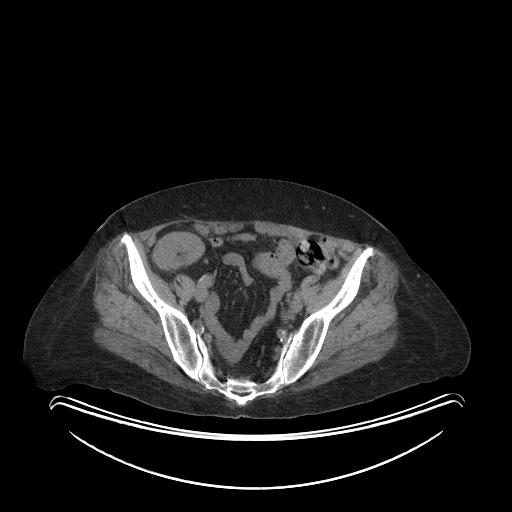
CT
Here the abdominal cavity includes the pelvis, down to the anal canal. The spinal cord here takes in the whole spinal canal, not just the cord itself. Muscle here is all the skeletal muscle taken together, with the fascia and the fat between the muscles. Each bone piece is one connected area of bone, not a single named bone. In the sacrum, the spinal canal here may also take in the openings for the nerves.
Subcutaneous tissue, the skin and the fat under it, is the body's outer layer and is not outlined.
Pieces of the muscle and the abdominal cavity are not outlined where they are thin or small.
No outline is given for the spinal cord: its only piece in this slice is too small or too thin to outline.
The torso is outlined by 223,177 265,177 310,185 341,196 376,218 437,283 463,319 471,340 465,370 370,402 287,419 189,415 155,408 109,389 84,384 53,391 39,387 22,358 28,321 51,282 78,256 94,231 111,213 143,195. The muscle appears in 4 outlined pieces: piece 1: 185,216 220,221 266,220 371,245 364,247 355,258 333,297 326,304 306,315 306,306 300,293 302,281 312,276 317,283 322,284 336,277 346,262 333,240 315,234 288,236 261,233 252,225 225,232 200,231 188,222 168,225 155,234 155,239 146,255 152,271 171,286 179,275 185,275 193,281 193,293 182,311 157,293 132,236 129,233 127,232 124,232 121,235 119,242 125,248 130,279 136,290 156,311 173,361 189,378 242,406 232,406 220,396 194,392 169,383 135,363 110,352 92,337 94,327 99,322 99,316 92,301 96,258 99,250 119,233 125,231 141,231; piece 2: 372,246 378,247 395,262 400,275 394,296 398,330 395,345 380,359 319,386 300,392 257,399 245,405 258,396 273,394 281,387 294,383 312,367 322,348 331,321 353,301 359,291 364,267 368,259 375,253; piece 3: 216,368 217,368 218,369 219,369 220,370 221,370 221,371 225,375 228,375 225,378 222,378 221,377 220,377 218,375 218,374 217,373 217,372 216,371; piece 4: 274,366 274,368 273,369 273,371 270,374 270,375 269,376 268,376 265,379 264,379 263,380 262,380 263,379 263,378 264,377 264,374 265,374 272,367 273,367. The abdominal cavity is outlined by 184,223 200,232 235,232 252,226 272,236 321,236 335,243 345,261 336,276 322,283 312,275 301,281 307,316 259,381 225,374 214,366 210,346 184,312 194,281 179,274 171,285 150,265 147,253 156,234. The bones are outlined by 124,233 131,236 156,293 200,334 217,375 257,382 274,371 282,346 303,320 334,297 364,248 371,246 374,253 363,267 356,295 330,321 311,367 273,393 238,405 189,377 174,361 157,311 131,279 120,242.